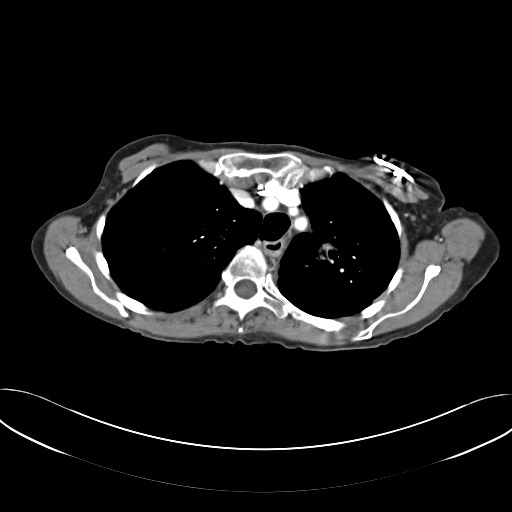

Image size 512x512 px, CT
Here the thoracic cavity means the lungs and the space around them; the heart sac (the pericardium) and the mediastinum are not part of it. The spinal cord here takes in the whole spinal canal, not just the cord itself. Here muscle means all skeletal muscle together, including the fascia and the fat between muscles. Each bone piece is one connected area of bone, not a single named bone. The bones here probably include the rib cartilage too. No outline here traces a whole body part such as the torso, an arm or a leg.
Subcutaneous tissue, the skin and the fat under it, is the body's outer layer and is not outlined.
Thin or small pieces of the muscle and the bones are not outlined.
The muscle is outlined by [[154,143],[187,151],[247,151],[224,153],[215,160],[153,162],[106,215],[102,212],[97,217],[95,234],[101,250],[93,256],[104,277],[119,287],[114,297],[99,288],[74,245],[64,250],[65,257],[88,276],[93,292],[124,318],[130,315],[128,310],[146,316],[155,315],[153,310],[178,311],[198,303],[217,287],[211,307],[224,305],[240,321],[263,307],[278,318],[290,315],[329,333],[347,326],[340,319],[344,317],[359,314],[363,320],[382,309],[386,298],[379,297],[393,291],[404,272],[398,265],[403,227],[397,211],[385,196],[379,199],[331,165],[311,167],[288,151],[359,165],[384,161],[411,176],[429,194],[405,203],[400,211],[412,248],[460,217],[475,220],[485,232],[484,239],[465,265],[456,291],[432,313],[373,336],[382,321],[404,314],[421,299],[441,270],[439,264],[429,263],[416,295],[401,309],[381,315],[352,335],[349,339],[354,342],[317,345],[264,332],[182,338],[137,330],[70,294],[50,270],[43,242],[49,224],[64,215],[79,216],[89,230],[102,203],[120,186],[120,160]]. The mediastinum is outlined by [[258,175],[268,175],[271,179],[281,178],[302,183],[304,181],[309,182],[299,190],[299,193],[312,232],[299,233],[292,239],[280,260],[276,284],[262,250],[253,244],[260,229],[261,215],[254,209],[241,205],[228,188],[219,182],[224,179],[248,178]]. The spinal cord is outlined by [[242,280],[249,280],[250,281],[251,281],[255,285],[255,287],[256,288],[256,290],[255,291],[255,292],[251,296],[250,296],[247,298],[245,298],[244,297],[242,297],[241,296],[238,295],[235,291],[235,286],[236,285],[236,284],[238,282],[239,282]]. The thoracic cavity appears in 2 outlined pieces: piece 1: [[180,160],[195,162],[205,172],[217,178],[241,206],[254,210],[261,218],[253,243],[246,244],[235,252],[221,271],[220,280],[210,294],[187,307],[165,311],[152,309],[121,290],[110,273],[108,262],[102,251],[101,240],[108,213],[127,192],[156,168]]; piece 2: [[337,172],[352,178],[380,200],[399,239],[397,267],[386,288],[359,313],[344,316],[339,319],[314,315],[301,309],[291,302],[277,286],[277,274],[281,265],[281,260],[291,242],[299,234],[313,232],[310,218],[302,204],[300,190],[310,182],[329,178]]. The bones appear in 10 outlined pieces: piece 1: [[246,245],[254,245],[261,250],[277,288],[291,303],[314,316],[341,320],[346,326],[337,332],[329,332],[297,320],[290,314],[283,318],[278,317],[263,306],[249,311],[242,320],[236,311],[224,304],[213,308],[212,301],[218,291],[222,271],[236,252]] with a hole at [[242,280],[249,280],[250,281],[251,281],[255,285],[255,287],[256,288],[256,290],[255,291],[255,292],[251,296],[250,296],[247,298],[245,298],[244,297],[242,297],[241,296],[238,295],[235,291],[235,286],[236,285],[236,284],[238,282],[239,282]]; piece 2: [[285,151],[300,158],[305,165],[311,168],[320,168],[328,165],[335,169],[336,172],[331,176],[316,181],[304,180],[302,182],[281,177],[271,178],[270,175],[265,173],[219,180],[196,163],[201,159],[215,161],[222,155],[233,152],[277,153]]; piece 3: [[69,246],[74,246],[77,249],[82,260],[91,270],[96,285],[107,296],[114,298],[115,292],[119,290],[129,297],[141,302],[155,314],[146,315],[128,309],[127,312],[129,315],[127,317],[122,316],[113,305],[94,292],[89,276],[66,257],[65,250]]; piece 4: [[429,264],[439,265],[440,270],[438,274],[428,282],[420,299],[411,308],[404,313],[395,316],[390,316],[382,320],[373,329],[371,337],[357,341],[352,341],[350,339],[360,330],[364,329],[381,316],[399,311],[404,308],[419,292],[423,283],[425,269]]; piece 5: [[383,196],[385,197],[392,205],[392,206],[396,211],[399,217],[399,219],[400,220],[400,223],[402,227],[402,232],[401,233],[401,237],[400,239],[398,236],[398,234],[397,233],[396,228],[388,212],[386,210],[383,203],[381,201],[381,198]]; piece 6: [[377,298],[385,298],[385,303],[384,305],[381,308],[381,309],[374,315],[370,317],[368,317],[367,318],[364,318],[363,319],[360,318],[360,312],[363,309],[364,309],[366,307],[370,305],[374,301],[374,300],[375,300]]; piece 7: [[95,251],[101,251],[102,252],[107,262],[107,264],[109,268],[109,273],[112,278],[112,281],[110,281],[108,279],[107,279],[105,277],[105,276],[100,271],[96,263],[96,261],[95,260],[95,257],[94,256],[94,253]]; piece 8: [[398,266],[401,266],[403,268],[403,272],[402,273],[401,278],[400,279],[398,284],[395,287],[395,288],[393,290],[392,290],[388,294],[385,294],[384,293],[383,293],[383,292],[387,288],[387,286],[388,285],[389,282],[391,280],[394,273],[396,271]]; piece 9: [[153,163],[157,163],[159,165],[159,166],[156,167],[150,173],[149,173],[147,175],[146,175],[142,179],[141,179],[133,187],[131,187],[131,185],[132,184],[133,181],[138,176],[138,175],[145,168],[146,168],[148,166],[149,166],[151,164],[152,164]]; piece 10: [[102,213],[105,214],[106,216],[106,218],[105,219],[105,224],[103,228],[103,231],[101,235],[101,239],[99,240],[96,234],[96,221],[98,217]].